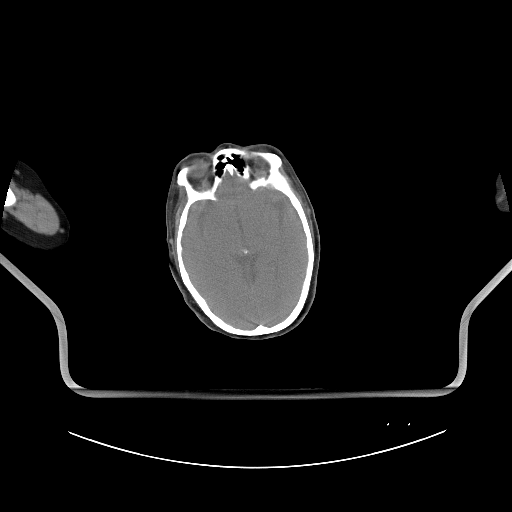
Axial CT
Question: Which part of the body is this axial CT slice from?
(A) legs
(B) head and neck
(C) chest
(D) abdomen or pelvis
Answer: (B) head and neck
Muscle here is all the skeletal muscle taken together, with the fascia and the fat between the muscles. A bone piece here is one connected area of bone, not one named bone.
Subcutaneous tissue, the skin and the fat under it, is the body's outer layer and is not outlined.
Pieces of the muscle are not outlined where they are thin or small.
{"head":[{"outer":[[223,142],[240,144],[263,143],[273,145],[280,149],[292,165],[313,206],[321,247],[315,297],[308,313],[302,321],[292,330],[277,337],[261,340],[236,339],[211,330],[187,306],[169,269],[166,245],[165,202],[173,169],[186,155],[192,152],[210,150]],"holes":[[[235,156],[237,156],[237,157],[238,158],[239,158],[243,162],[243,165],[242,166],[242,167],[241,168],[241,169],[239,169],[239,168],[236,165],[235,165],[233,163],[232,163],[231,162],[230,162],[230,161],[231,161],[232,160],[233,160],[235,158]],[[219,163],[223,163],[223,166],[221,168],[221,171],[220,172],[220,173],[218,173],[218,169],[217,168],[217,165]]]}],"brain":[[[227,174],[246,181],[247,186],[253,191],[268,187],[282,193],[295,210],[305,236],[306,263],[297,300],[283,318],[270,325],[259,323],[253,327],[240,327],[226,321],[212,310],[192,281],[184,263],[182,239],[189,210],[195,202],[216,201],[216,192]]],"muscle":[[[15,168],[36,188],[36,189],[55,209],[63,225],[63,232],[59,235],[47,236],[46,235],[42,235],[38,233],[31,232],[2,218],[4,208],[13,206],[17,201],[17,197],[15,193],[12,190],[11,187],[9,186],[10,181],[12,178],[12,175]],[[176,182],[176,184],[178,186],[182,186],[184,188],[186,196],[185,203],[181,210],[178,219],[178,225],[175,238],[175,249],[178,265],[178,272],[175,266],[174,259],[172,255],[172,248],[169,234],[170,233],[170,216],[171,215],[172,199]],[[283,164],[289,175],[295,181],[295,183],[300,190],[309,208],[310,217],[312,221],[312,225],[314,231],[315,241],[315,253],[315,248],[314,247],[312,239],[312,234],[310,230],[310,227],[305,211],[300,200],[294,192],[288,180],[288,178],[281,171],[281,168]]],"left_arm":[[[497,173],[498,173],[500,175],[501,181],[503,184],[503,188],[505,192],[505,196],[507,200],[507,204],[508,205],[508,213],[507,214],[499,212],[496,209],[494,205],[494,202],[493,201],[493,188],[494,187],[494,181],[495,180],[495,178],[496,177]]],"right_arm":[[[19,160],[24,161],[36,171],[51,195],[64,210],[69,220],[70,228],[69,229],[68,239],[65,244],[57,249],[47,251],[34,248],[18,241],[13,237],[8,235],[2,229],[2,216],[4,209],[4,202],[13,172],[16,167],[17,162]]],"bones":[{"outer":[[227,147],[280,157],[280,171],[302,206],[311,234],[314,263],[308,295],[297,317],[275,332],[240,335],[220,328],[202,311],[180,276],[176,238],[187,196],[185,188],[177,184],[178,172],[189,166],[187,179],[192,186],[209,188],[214,179],[211,157]],"holes":[[[227,174],[246,181],[247,186],[253,191],[268,187],[282,193],[295,210],[305,236],[306,263],[297,300],[283,318],[270,325],[259,323],[253,327],[240,327],[226,321],[212,310],[192,281],[184,263],[182,239],[189,210],[195,202],[216,201],[216,192]],[[235,156],[237,156],[243,162],[244,160],[247,160],[254,157],[262,158],[268,165],[267,173],[265,174],[264,173],[262,175],[256,176],[252,178],[251,176],[252,168],[249,164],[244,163],[241,169],[239,169],[236,165],[230,162],[230,161],[235,158]],[[219,163],[223,163],[223,166],[221,168],[221,171],[220,172],[220,173],[218,173],[218,169],[217,168],[217,165]]]},[[9,187],[10,187],[10,188],[11,189],[11,190],[14,193],[14,194],[16,197],[16,201],[15,202],[15,203],[13,205],[11,205],[10,206],[7,206],[6,207],[4,207],[4,202],[5,201],[5,199],[6,198],[6,194],[7,193],[7,190]]]}